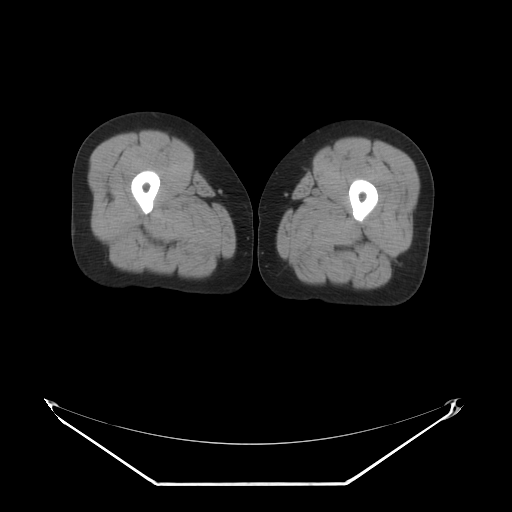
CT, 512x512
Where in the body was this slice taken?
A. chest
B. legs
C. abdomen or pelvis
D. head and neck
Answer: B. legs
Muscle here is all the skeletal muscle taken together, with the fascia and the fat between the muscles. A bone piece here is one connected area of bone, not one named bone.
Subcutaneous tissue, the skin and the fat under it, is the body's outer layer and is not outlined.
The right leg is outlined by (137, 110) (169, 112) (197, 125) (219, 148) (243, 183) (249, 195) (253, 211) (253, 262) (249, 279) (235, 293) (228, 296) (200, 296) (158, 288) (136, 288) (120, 291) (90, 281) (79, 270) (74, 259) (70, 236) (71, 172) (75, 155) (84, 138) (96, 126) (116, 115). The bones appear in 2 outlined pieces: piece 1: (357, 178) (362, 178) (371, 182) (375, 186) (377, 190) (377, 193) (378, 194) (378, 200) (377, 201) (376, 205) (362, 221) (358, 221) (353, 217) (353, 215) (352, 214) (352, 208) (351, 207) (350, 201) (348, 197) (348, 190) (349, 189) (349, 186) (352, 182) (352, 181); piece 2: (143, 170) (152, 170) (156, 172) (159, 176) (159, 178) (160, 179) (160, 184) (159, 185) (158, 191) (153, 202) (153, 207) (151, 211) (147, 214) (145, 214) (142, 211) (141, 208) (135, 200) (131, 192) (131, 188) (130, 187) (131, 185) (131, 181) (133, 177) (137, 173). The muscle appears in 2 outlined pieces: piece 1: (139, 128) (159, 129) (173, 133) (184, 140) (192, 147) (204, 177) (224, 194) (236, 234) (236, 257) (218, 274) (203, 281) (192, 281) (175, 277) (139, 276) (118, 272) (106, 262) (102, 251) (95, 243) (89, 230) (91, 212) (87, 182) (89, 157) (94, 148) (105, 139), around a hole outlined by (143, 170) (152, 170) (156, 172) (159, 176) (159, 178) (160, 179) (160, 184) (159, 185) (158, 191) (153, 202) (153, 207) (151, 211) (147, 214) (145, 214) (142, 211) (141, 208) (135, 200) (131, 192) (131, 188) (130, 187) (131, 185) (131, 181) (133, 177) (137, 173); piece 2: (345, 136) (375, 137) (404, 149) (412, 157) (420, 180) (419, 209) (413, 222) (412, 243) (404, 255) (403, 265) (384, 287) (373, 291) (334, 290) (305, 285) (293, 277) (277, 262) (274, 253) (277, 225) (290, 199) (289, 196) (291, 192) (303, 176) (313, 155) (327, 142), around a hole outlined by (357, 178) (362, 178) (371, 182) (375, 186) (377, 190) (377, 193) (378, 194) (378, 200) (377, 201) (376, 205) (362, 221) (358, 221) (353, 217) (353, 215) (352, 214) (352, 208) (351, 207) (350, 201) (348, 197) (348, 190) (349, 189) (349, 186) (352, 182) (352, 181). The left leg is outlined by (349, 118) (363, 118) (384, 122) (408, 135) (424, 153) (433, 175) (435, 197) (425, 274) (417, 292) (406, 302) (393, 307) (354, 307) (330, 305) (319, 300) (292, 301) (282, 299) (270, 291) (265, 285) (258, 269) (258, 203) (272, 170) (281, 158) (305, 135) (329, 122).